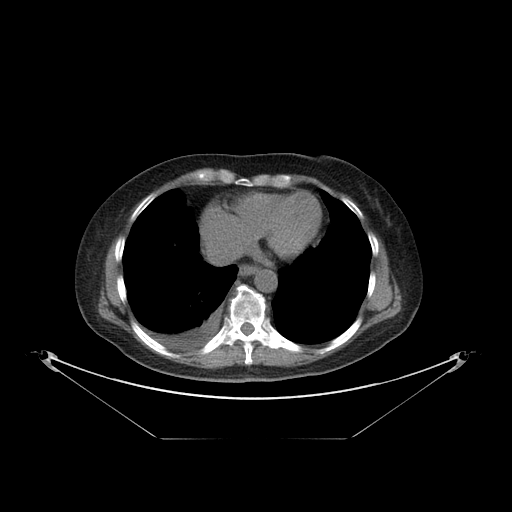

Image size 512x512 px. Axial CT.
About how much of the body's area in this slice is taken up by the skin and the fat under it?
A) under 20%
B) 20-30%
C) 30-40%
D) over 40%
B) 20-30%
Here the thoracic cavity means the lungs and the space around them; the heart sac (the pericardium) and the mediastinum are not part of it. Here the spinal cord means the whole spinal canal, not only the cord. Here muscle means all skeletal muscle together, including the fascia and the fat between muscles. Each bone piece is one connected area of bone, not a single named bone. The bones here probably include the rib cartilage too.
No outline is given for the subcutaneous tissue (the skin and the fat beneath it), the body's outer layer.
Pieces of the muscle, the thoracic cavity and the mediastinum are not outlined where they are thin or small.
Outlines:
thoracic cavity 1: (173, 188) (181, 192) (184, 204) (193, 214) (199, 235) (198, 251) (202, 259) (216, 267) (235, 265) (237, 269) (235, 279) (227, 293) (227, 314) (223, 316) (220, 328) (201, 347) (188, 351) (168, 349) (141, 327) (128, 302) (123, 275) (125, 243) (134, 222) (152, 201)
thoracic cavity 2: (322, 189) (340, 200) (358, 218) (371, 249) (369, 274) (365, 296) (352, 323) (329, 341) (316, 344) (300, 344) (285, 337) (275, 328) (268, 314) (268, 306) (271, 304) (278, 288) (279, 269) (290, 264) (308, 248) (315, 248) (330, 226) (330, 214) (320, 194)
spinal cord: (244, 323) (249, 323) (250, 324) (251, 324) (253, 326) (253, 330) (249, 334) (245, 334) (241, 330) (241, 326)
mediastinum 1: (237, 264) (246, 264) (257, 267) (278, 270) (278, 284) (277, 285) (277, 288) (269, 305) (268, 305) (266, 298) (263, 294) (250, 287) (245, 283) (238, 284) (234, 288) (233, 294) (228, 296) (229, 290) (236, 279) (236, 276) (238, 271) (236, 265)
mediastinum 2: (188, 184) (213, 184) (214, 185) (237, 185) (238, 186) (243, 186) (240, 187) (229, 187) (226, 189) (217, 192) (201, 207) (199, 210) (199, 212) (197, 214) (196, 220) (192, 210) (185, 204) (185, 198) (182, 192) (177, 187) (176, 187) (182, 185) (187, 185)
mediastinum 3: (301, 182) (310, 183) (311, 184) (313, 184) (321, 188) (321, 189) (319, 191) (319, 194) (321, 198) (318, 195) (318, 194) (316, 193) (312, 189) (310, 189) (307, 187) (301, 187) (300, 186) (290, 186) (291, 186) (292, 184) (295, 184) (296, 183) (300, 183)
bones 1: (240, 284) (263, 295) (274, 328) (285, 338) (299, 344) (302, 351) (271, 348) (255, 340) (252, 343) (252, 363) (247, 365) (244, 361) (243, 342) (238, 339) (231, 345) (221, 344) (207, 353) (200, 353) (199, 350) (221, 328) (224, 316) (228, 314) (228, 298), around a hole outlined by (244, 323) (249, 323) (250, 324) (251, 324) (253, 326) (253, 330) (249, 334) (245, 334) (241, 330) (241, 326)
bones 2: (209, 169) (214, 171) (226, 169) (232, 172) (238, 178) (247, 177) (250, 179) (259, 174) (267, 174) (270, 176) (288, 174) (291, 177) (292, 183) (287, 187) (275, 187) (270, 185) (244, 186) (234, 183) (223, 183) (217, 179) (206, 183) (193, 179) (191, 174) (200, 170)
bones 3: (131, 320) (134, 320) (136, 321) (140, 327) (149, 336) (150, 336) (157, 342) (163, 345) (168, 350) (172, 352) (180, 354) (180, 356) (179, 357) (169, 357) (163, 354) (161, 354) (155, 351) (152, 348) (149, 347) (144, 342) (143, 342) (134, 332) (130, 324) (130, 321)
bones 4: (358, 316) (361, 316) (362, 317) (362, 321) (361, 322) (361, 324) (359, 326) (357, 330) (345, 342) (328, 351) (326, 351) (324, 353) (317, 353) (315, 351) (319, 348) (321, 348) (322, 347) (326, 346) (332, 339) (335, 338) (344, 331) (345, 331) (353, 323) (353, 322)
bones 5: (151, 192) (155, 192) (157, 194) (157, 196) (147, 205) (147, 206) (137, 216) (137, 217) (135, 219) (135, 220) (132, 222) (130, 220) (130, 217) (131, 216) (132, 213) (135, 210) (135, 209) (137, 207) (137, 206) (140, 203) (140, 202) (148, 194) (149, 194)
bones 6: (120, 274) (122, 274) (122, 275) (123, 276) (123, 280) (124, 281) (124, 285) (125, 286) (125, 289) (126, 290) (126, 297) (127, 298) (127, 301) (126, 302) (126, 303) (123, 303) (122, 302) (122, 301) (119, 296) (119, 294) (118, 293) (118, 291) (117, 290) (117, 277)
bones 7: (120, 236) (124, 236) (126, 238) (125, 239) (125, 242) (124, 243) (124, 247) (123, 248) (123, 252) (122, 253) (122, 258) (121, 259) (121, 261) (119, 261) (118, 262) (117, 261) (116, 261) (116, 259) (115, 258) (115, 245) (116, 244) (116, 241) (117, 240) (117, 239)
bones 8: (342, 196) (344, 196) (345, 197) (346, 197) (347, 198) (348, 198) (350, 200) (351, 200) (359, 208) (359, 209) (361, 211) (361, 212) (363, 214) (363, 218) (362, 219) (359, 219) (359, 218) (340, 199) (340, 197) (341, 197)
bones 9: (369, 231) (372, 232) (375, 235) (377, 239) (377, 242) (378, 243) (378, 252) (376, 256) (373, 256) (372, 255) (372, 249) (371, 248) (371, 245) (370, 244) (370, 242) (367, 236) (367, 232)
bones 10: (370, 271) (372, 271) (373, 272) (374, 272) (374, 273) (375, 274) (375, 284) (374, 285) (374, 288) (373, 289) (373, 291) (371, 294) (371, 296) (369, 298) (368, 298) (366, 296) (366, 294) (367, 293) (367, 289) (368, 288) (368, 282) (369, 281) (369, 275) (370, 274)
torso: (267, 152) (335, 156) (360, 168) (390, 193) (408, 220) (423, 271) (422, 298) (410, 325) (377, 351) (335, 371) (241, 383) (196, 381) (156, 372) (126, 357) (95, 333) (84, 321) (76, 302) (74, 265) (84, 229) (101, 203) (134, 175) (173, 157) (193, 153) (243, 155)
muscle 1: (364, 214) (380, 234) (385, 246) (400, 290) (401, 310) (392, 317) (370, 326) (340, 350) (307, 364) (289, 367) (252, 364) (255, 341) (271, 349) (283, 348) (294, 353) (303, 351) (301, 344) (316, 345) (328, 342) (314, 351) (317, 354) (324, 354) (345, 343) (358, 330) (363, 321) (358, 312) (364, 298) (369, 299) (372, 296) (376, 284) (376, 274) (370, 270) (371, 259) (379, 252) (376, 235) (370, 230) (366, 233) (360, 221) (364, 218)
muscle 2: (138, 202) (129, 217) (133, 223) (128, 235) (120, 235) (114, 245) (115, 261) (121, 262) (123, 271) (116, 277) (116, 290) (121, 302) (129, 304) (136, 320) (129, 321) (131, 329) (149, 348) (169, 358) (179, 358) (181, 354) (175, 352) (188, 352) (199, 348) (199, 353) (204, 355) (221, 345) (231, 346) (238, 340) (242, 342) (243, 361) (246, 365) (235, 364) (211, 369) (174, 362) (145, 348) (125, 330) (99, 315) (97, 299) (102, 265) (109, 243)
muscle 3: (204, 167) (211, 167) (215, 169) (222, 168) (217, 170) (209, 168) (208, 169) (200, 169) (192, 172) (190, 174) (190, 176) (193, 180) (197, 180) (205, 183) (188, 183) (187, 184) (178, 185) (164, 191) (159, 195) (155, 191) (152, 191) (167, 181) (171, 180) (184, 173)
muscle 4: (289, 174) (303, 174) (304, 175) (313, 176) (319, 179) (328, 186) (340, 192) (342, 192) (348, 196) (350, 196) (357, 205) (348, 197) (342, 195) (339, 197) (339, 199) (332, 195) (325, 189) (313, 183) (306, 182) (305, 181) (293, 183) (292, 177) (291, 175)
pericardium: (241, 187) (300, 187) (312, 190) (323, 201) (328, 211) (330, 222) (329, 226) (319, 243) (315, 247) (308, 247) (290, 263) (278, 269) (246, 263) (228, 264) (223, 266) (213, 265) (204, 260) (199, 251) (200, 235) (196, 221) (198, 214) (202, 207) (217, 193) (229, 188)